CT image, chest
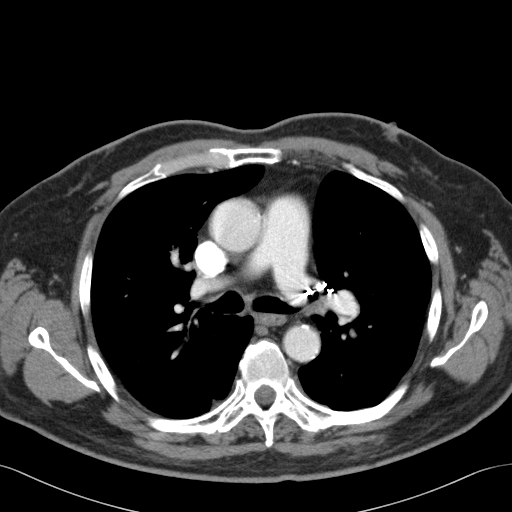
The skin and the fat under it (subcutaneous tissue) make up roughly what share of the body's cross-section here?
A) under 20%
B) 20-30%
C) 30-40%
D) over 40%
Answer: B) 20-30%
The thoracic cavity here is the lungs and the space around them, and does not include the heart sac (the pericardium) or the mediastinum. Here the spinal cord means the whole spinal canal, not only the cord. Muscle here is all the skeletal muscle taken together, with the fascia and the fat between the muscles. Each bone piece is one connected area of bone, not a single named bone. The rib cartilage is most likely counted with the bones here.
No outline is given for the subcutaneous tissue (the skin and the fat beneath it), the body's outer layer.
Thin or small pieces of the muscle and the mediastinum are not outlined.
The muscle is outlined by 294 135; 325 137; 368 150; 403 170; 414 190; 426 203; 489 230; 499 240; 511 262; 511 327; 494 361; 476 383; 426 403; 391 431; 382 442; 359 451; 296 456; 267 449; 206 460; 179 461; 141 449; 123 429; 104 419; 68 413; 48 406; 19 380; 4 372; 0 366; 0 275; 12 258; 29 259; 56 244; 73 223; 91 187; 152 151; 175 142; 195 138; 223 138; 257 145; 266 140, around holes outlined by 255 146; 345 172; 342 163; 348 162; 395 186; 415 225; 423 223; 434 238; 438 261; 430 264; 430 289; 439 287; 442 299; 435 335; 429 342; 423 329; 399 381; 409 386; 386 414; 311 432; 280 413; 270 447; 252 414; 226 432; 163 432; 145 417; 158 415; 120 384; 116 401; 90 362; 87 344; 99 347; 91 312; 85 318; 79 300; 84 257; 94 253; 124 186; 173 158 and by 37 326; 41 326; 47 330; 49 334; 50 345; 53 350; 57 354; 64 357; 83 376; 95 381; 100 388; 100 391; 99 392; 97 392; 93 389; 87 387; 69 373; 48 351; 42 348; 34 347; 29 343; 28 341; 28 335; 30 331 and by 480 300; 483 300; 487 306; 487 317; 481 327; 477 331; 472 333; 467 339; 465 343; 460 348; 456 350; 443 364; 435 367; 431 367; 429 364; 431 360; 435 356; 443 355; 450 348; 458 344; 464 337; 469 327; 472 310; 476 303. The torso is outlined by 321 111; 353 112; 395 122; 443 154; 481 172; 511 202; 511 395; 493 413; 450 440; 387 465; 326 479; 273 483; 203 481; 138 471; 80 453; 0 416; 0 210; 6 204; 77 157; 150 124; 202 119; 237 128; 262 128; 293 115. The spinal cord is outlined by 263 385; 266 385; 267 386; 268 386; 269 387; 270 387; 274 391; 274 393; 275 394; 275 395; 274 396; 274 399; 273 400; 273 401; 269 405; 261 405; 260 404; 259 404; 255 399; 255 393; 256 392; 256 391; 261 386; 262 386. The bones appear in 9 outlined pieces: piece 1: 261 339; 278 346; 290 376; 310 399; 336 411; 375 406; 399 384; 406 381; 409 386; 386 414; 365 423; 332 425; 311 432; 280 413; 270 447; 252 414; 226 432; 163 432; 151 427; 145 414; 189 419; 215 408; 233 391; 246 347; inner edge: 263 385; 266 385; 267 386; 268 386; 269 387; 270 387; 274 391; 274 393; 275 394; 275 395; 274 396; 274 399; 273 400; 273 401; 269 405; 261 405; 260 404; 259 404; 255 399; 255 393; 256 392; 256 391; 261 386; 262 386; piece 2: 255 146; 280 148; 283 153; 283 159; 281 161; 271 164; 246 163; 231 168; 220 168; 212 172; 206 171; 202 167; 189 168; 147 183; 130 192; 113 205; 124 186; 146 173; 157 163; 165 162; 187 154; 201 152; 211 147; 239 148; piece 3: 37 326; 41 326; 47 330; 49 334; 50 345; 53 350; 57 354; 64 357; 83 376; 95 381; 100 388; 100 391; 99 392; 97 392; 93 389; 87 387; 69 373; 48 351; 42 348; 34 347; 29 343; 28 341; 28 335; 30 331; piece 4: 480 300; 483 300; 487 306; 487 317; 481 327; 477 331; 472 333; 467 339; 465 343; 460 348; 456 350; 443 364; 435 367; 431 367; 429 364; 431 360; 435 356; 443 355; 450 348; 458 344; 464 337; 469 327; 472 310; 476 303; piece 5: 88 343; 90 343; 98 350; 108 369; 113 376; 117 384; 117 387; 118 388; 118 394; 120 397; 120 401; 119 402; 116 401; 108 393; 100 382; 97 375; 95 373; 94 369; 90 362; 90 360; 87 353; 87 350; 86 349; 86 346; piece 6: 89 250; 90 250; 93 254; 93 257; 92 258; 92 268; 91 269; 91 281; 90 282; 90 311; 87 317; 85 318; 82 314; 80 301; 79 300; 79 278; 80 277; 80 272; 81 271; 81 267; 82 266; 82 263; 83 262; 84 257; piece 7: 343 162; 348 162; 349 163; 351 163; 357 168; 362 170; 364 172; 389 182; 395 186; 401 192; 404 197; 404 202; 403 203; 400 202; 397 199; 382 189; 364 180; 362 180; 354 176; 348 172; 342 166; 342 163; piece 8: 436 287; 439 287; 441 291; 441 298; 442 299; 441 314; 440 315; 440 319; 439 320; 439 323; 435 335; 432 341; 429 342; 428 340; 428 336; 425 332; 425 325; 426 324; 426 320; 428 314; 428 309; 431 300; 431 296; 433 291; piece 9: 420 223; 423 223; 429 229; 436 243; 436 245; 437 246; 437 252; 438 253; 438 261; 436 264; 430 263; 427 257; 427 255; 425 252; 425 250; 424 249; 424 247; 421 240; 421 237; 419 233; 419 230; 418 229; 418 226. The mediastinum is outlined by 293 158; 333 168; 319 185; 312 220; 320 302; 311 319; 320 332; 321 347; 296 376; 291 376; 288 362; 274 341; 261 338; 250 342; 254 330; 251 316; 217 311; 192 258; 198 230; 217 204; 253 187; 264 173; 262 164. The thoracic cavity appears in 2 outlined pieces: piece 1: 246 164; 261 164; 261 177; 246 191; 212 208; 197 230; 191 258; 216 311; 252 319; 253 330; 237 365; 239 377; 218 405; 200 415; 160 416; 117 383; 95 337; 91 282; 94 252; 102 226; 117 203; 147 184; 198 168; 212 173; piece 2: 334 169; 347 172; 382 190; 404 206; 417 227; 431 272; 430 300; 412 364; 396 387; 381 401; 352 410; 336 410; 315 401; 297 385; 293 377; 298 375; 302 366; 318 356; 322 347; 321 332; 312 319; 321 302; 313 220; 320 185.